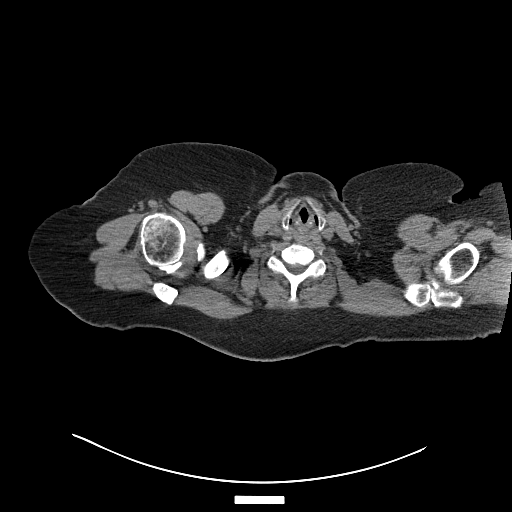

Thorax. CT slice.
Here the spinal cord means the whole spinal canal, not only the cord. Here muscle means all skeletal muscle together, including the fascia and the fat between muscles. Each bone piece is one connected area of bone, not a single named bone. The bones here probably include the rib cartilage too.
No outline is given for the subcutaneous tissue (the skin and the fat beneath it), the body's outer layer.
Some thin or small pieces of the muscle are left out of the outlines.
{"central_area_in_front_of_the_spine":[[[302,201],[307,202],[316,214],[318,219],[317,230],[321,231],[324,227],[331,228],[334,233],[332,238],[321,241],[285,240],[281,237],[276,237],[267,233],[268,228],[279,222],[281,227],[284,230],[287,230],[290,227],[289,222],[294,209],[297,204]]],"muscle":[{"outer":[[288,187],[325,194],[352,222],[359,249],[333,241],[358,279],[401,288],[390,254],[406,216],[501,222],[511,231],[507,306],[461,307],[455,286],[481,255],[467,240],[436,260],[429,281],[402,289],[416,307],[451,309],[400,317],[317,308],[220,320],[173,305],[178,289],[163,281],[152,283],[155,296],[99,287],[89,259],[95,231],[133,203],[179,189],[215,192],[226,210],[206,242],[225,247],[248,242],[254,220]],"holes":[[[155,212],[163,212],[175,217],[182,224],[185,231],[185,242],[183,246],[183,254],[181,257],[182,265],[175,272],[171,274],[167,274],[163,270],[158,268],[156,266],[151,265],[146,261],[142,254],[140,239],[139,238],[140,225],[144,217],[149,214]],[[293,242],[305,245],[315,252],[322,248],[321,257],[326,264],[326,269],[322,276],[309,276],[298,285],[296,302],[288,300],[290,296],[289,281],[281,273],[272,271],[266,265],[272,244],[276,246],[277,250],[275,253],[278,255],[281,249]],[[302,201],[308,203],[310,202],[318,210],[319,213],[325,219],[324,227],[332,229],[334,233],[334,236],[332,238],[326,240],[325,239],[321,241],[285,240],[281,237],[276,237],[267,233],[267,229],[271,226],[274,226],[280,222],[284,214],[293,205]],[[223,248],[226,249],[227,251],[227,254],[230,258],[230,261],[227,267],[219,275],[218,275],[216,277],[212,279],[206,279],[203,276],[203,274],[201,270],[201,267],[202,265],[203,265],[210,258],[211,258],[214,255],[215,255],[221,249]],[[199,241],[202,241],[204,243],[204,245],[205,246],[205,256],[204,257],[204,258],[200,262],[199,261],[198,261],[197,260],[197,246],[198,245],[198,242]]]}],"bones":[[[465,241],[476,246],[480,252],[480,255],[479,260],[471,273],[460,283],[454,286],[463,299],[462,305],[459,308],[436,308],[431,302],[422,307],[416,306],[409,302],[403,295],[405,282],[429,282],[435,275],[433,266],[437,260],[447,251],[459,243]],[[155,212],[163,212],[175,217],[182,224],[185,231],[185,242],[183,246],[183,254],[181,257],[182,265],[175,272],[171,274],[167,274],[163,270],[158,268],[156,266],[151,265],[146,261],[142,254],[140,239],[139,238],[140,225],[144,217],[149,214]],{"outer":[[293,242],[305,245],[315,252],[322,248],[321,257],[326,264],[326,269],[322,276],[309,276],[298,285],[296,302],[288,300],[290,296],[289,281],[281,273],[272,271],[266,265],[272,244],[276,246],[277,250],[275,253],[278,255],[281,249]],"hole":[[286,264],[289,264],[290,265],[294,265],[295,264],[299,264],[300,265],[302,265],[303,266],[305,266],[305,268],[304,269],[304,270],[302,272],[301,272],[300,273],[298,273],[297,274],[294,274],[293,273],[290,272],[287,269],[287,268],[286,267]]},[[223,248],[226,249],[227,251],[227,254],[230,258],[230,261],[227,267],[219,275],[218,275],[216,277],[212,279],[206,279],[203,276],[203,274],[201,270],[201,267],[202,265],[203,265],[210,258],[211,258],[214,255],[215,255],[221,249]],[[159,281],[160,282],[163,282],[169,285],[171,285],[175,287],[177,289],[177,296],[175,298],[173,303],[171,305],[168,305],[166,304],[164,302],[163,302],[161,300],[157,298],[154,294],[152,290],[152,285],[154,282],[158,282]],[[295,204],[296,204],[296,205],[293,209],[289,218],[289,221],[288,222],[288,224],[289,225],[288,226],[289,227],[287,229],[284,229],[281,225],[281,220],[282,219],[282,217],[284,215],[284,214],[286,212],[287,212],[288,210],[293,205]],[[199,241],[202,241],[204,243],[204,245],[205,246],[205,256],[204,257],[204,258],[200,262],[199,261],[198,261],[197,260],[197,246],[198,245],[198,242]],[[309,202],[310,202],[310,203],[315,208],[316,208],[318,210],[319,213],[325,219],[325,224],[324,225],[323,228],[321,230],[318,230],[318,225],[319,224],[319,219],[318,218],[318,216],[317,215],[317,214],[312,208],[312,207],[310,205]]],"torso":[[[184,141],[249,150],[278,178],[317,173],[339,196],[352,176],[388,164],[455,172],[464,186],[434,232],[434,278],[503,317],[499,332],[368,340],[252,361],[167,329],[82,321],[46,291],[28,254],[105,288],[179,279],[196,255],[195,217],[135,155]]],"left_arm":[[[492,181],[499,181],[501,183],[507,208],[509,227],[511,230],[511,284],[504,316],[493,315],[460,294],[443,288],[435,278],[435,266],[432,259],[432,244],[435,232],[441,219],[452,203],[460,202],[467,198],[477,196],[479,190],[484,185]]],"right_arm":[[[133,156],[143,164],[151,167],[161,174],[180,194],[194,217],[197,228],[196,251],[189,268],[179,278],[170,283],[153,287],[105,287],[73,280],[28,253],[28,246],[31,236],[35,228],[42,221],[62,208],[83,202],[111,179],[122,167],[128,163]]],"spinal_cord":[[[286,264],[289,264],[290,265],[294,265],[295,264],[299,264],[300,265],[302,265],[303,266],[305,266],[305,268],[304,269],[304,270],[302,272],[301,272],[300,273],[298,273],[297,274],[294,274],[293,273],[290,272],[287,269],[287,268],[286,267]]]}